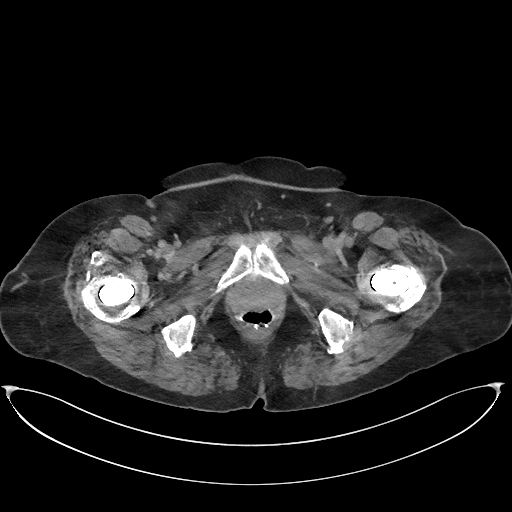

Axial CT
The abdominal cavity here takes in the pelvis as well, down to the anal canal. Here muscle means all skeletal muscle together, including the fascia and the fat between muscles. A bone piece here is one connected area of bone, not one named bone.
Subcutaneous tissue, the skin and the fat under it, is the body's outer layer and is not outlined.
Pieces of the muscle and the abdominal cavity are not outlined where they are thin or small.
abdominal cavity: 248,275 254,277 260,276 262,278 273,282 274,285 279,288 285,295 285,301 281,318 273,329 269,332 269,334 259,342 250,339 242,330 242,328 238,325 236,322 235,316 226,300 227,294 233,289 233,284
muscle: 365,210 406,219 442,244 442,300 405,347 370,372 343,384 317,389 284,385 282,363 311,335 313,328 290,293 286,315 271,340 261,348 242,339 229,321 224,302 217,301 202,332 240,366 240,376 234,389 197,396 161,388 112,365 74,323 62,297 60,286 75,244 108,218 139,215 171,244 185,246 232,231 285,230 318,238 341,230, around holes outlined by 266,237 268,237 268,244 284,268 289,283 274,284 285,295 283,312 269,334 257,342 250,339 238,325 227,303 226,296 233,289 233,285 227,286 219,293 210,295 231,262 239,242 241,241 253,249 258,242 and by 96,250 108,253 107,261 100,267 100,273 102,275 115,275 118,272 121,272 133,280 140,290 148,292 147,301 138,312 115,324 103,321 96,317 84,306 81,299 80,290 85,284 85,273 88,261 92,252 and by 389,262 398,263 402,265 409,265 411,264 415,267 417,267 424,274 426,278 426,289 421,298 410,308 399,313 388,311 382,305 366,297 360,291 356,282 356,277 358,273 361,274 366,273 378,265 385,264 and by 324,307 327,307 338,313 340,313 343,316 351,320 353,322 353,331 350,335 349,340 344,345 344,350 341,353 332,354 327,352 327,347 328,345 325,341 324,336 322,334 321,327 317,318 318,313 320,310 and by 184,314 194,314 196,318 196,324 195,325 195,328 194,329 194,332 193,333 193,337 192,338 192,342 193,343 193,345 190,351 182,354 179,357 175,357 173,353 168,348 161,333 161,329 164,326 176,320
torso: 255,156 339,169 349,179 347,190 425,199 484,233 511,270 511,326 499,339 355,398 281,412 264,410 261,398 227,412 172,406 9,345 0,330 0,283 55,217 99,196 151,197 163,189 159,180 189,166
bones 1: 96,250 108,253 107,261 100,267 100,273 102,275 115,275 118,272 121,272 133,280 140,290 148,292 147,301 138,312 115,324 103,321 96,317 84,306 81,299 80,290 85,284 85,273 88,261 92,252
bones 2: 389,262 398,263 402,265 409,265 411,264 415,267 417,267 424,274 426,278 426,289 421,298 410,308 399,313 388,311 382,305 366,297 360,291 356,282 356,277 358,273 361,274 366,273 378,265 385,264
bones 3: 266,237 268,237 268,244 284,268 289,278 289,283 281,285 260,275 254,276 248,274 238,281 227,286 219,293 211,296 210,295 216,287 222,273 231,262 235,251 239,246 239,242 241,241 253,249 258,242
bones 4: 324,307 327,307 338,313 340,313 343,316 351,320 353,322 353,331 350,335 349,340 344,345 344,350 341,353 332,354 327,352 327,347 328,345 325,341 324,336 322,334 321,327 317,318 318,313 320,310
bones 5: 184,314 194,314 196,318 196,324 195,325 195,328 194,329 194,332 193,333 193,337 192,338 192,342 193,343 193,345 190,351 182,354 179,357 175,357 173,353 168,348 161,333 161,329 164,326 176,320